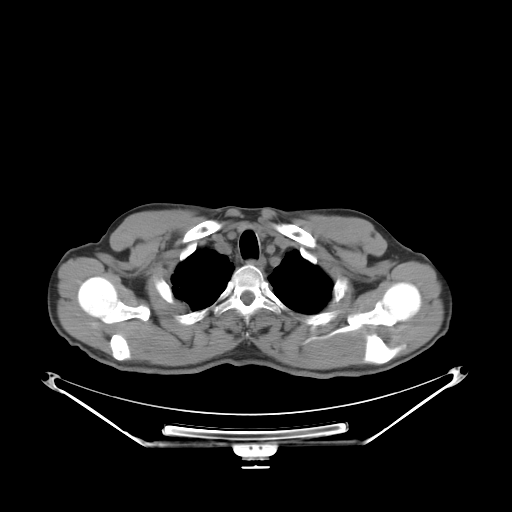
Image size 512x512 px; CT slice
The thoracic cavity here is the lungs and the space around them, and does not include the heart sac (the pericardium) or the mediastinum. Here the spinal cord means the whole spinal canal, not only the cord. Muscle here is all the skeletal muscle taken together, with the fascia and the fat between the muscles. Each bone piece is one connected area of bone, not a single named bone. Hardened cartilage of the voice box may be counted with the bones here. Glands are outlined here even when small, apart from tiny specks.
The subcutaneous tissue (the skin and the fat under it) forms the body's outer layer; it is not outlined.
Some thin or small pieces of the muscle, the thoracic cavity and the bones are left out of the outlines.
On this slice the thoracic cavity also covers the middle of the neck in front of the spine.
muscle: 172,208 196,208 203,215 230,208 253,215 269,208 290,217 307,212 363,218 387,241 385,258 416,259 433,268 444,287 442,323 424,344 397,357 405,343 389,346 375,332 368,333 362,361 371,364 331,369 287,365 246,342 194,364 123,361 132,356 126,338 119,332 110,336 111,356 62,327 54,300 58,270 70,258 108,247 111,233 127,216; inner edges: 207,219 224,223 198,239 197,248 243,223 298,250 297,241 271,224 292,223 309,232 316,244 305,248 317,265 333,282 339,277 348,281 344,295 321,310 338,314 313,330 297,311 277,314 266,308 258,309 247,324 234,308 219,315 211,311 192,324 178,322 174,315 188,313 190,306 175,296 173,303 165,300 154,279 172,284 184,234, then 402,281 415,285 421,296 421,306 418,312 408,320 399,321 391,326 375,326 364,324 354,330 337,333 327,338 313,339 304,343 311,336 325,335 337,328 345,326 347,324 347,316 349,314 371,310 392,283, then 92,276 102,276 109,280 114,285 119,299 126,305 134,307 140,304 144,304 148,306 150,310 150,315 148,319 144,321 139,318 130,318 120,322 105,323 100,319 86,313 78,303 77,292 81,283 87,278
spinal cord: 245,291 249,291 250,292 251,292 253,294 253,295 254,296 254,298 253,299 253,300 250,303 249,303 248,304 246,304 245,303 244,303 241,300 241,295
thyroid glands 1: 243,223 244,223 245,224 247,224 248,225 247,225 246,226 246,227 243,230 242,230 241,231 238,231 237,230 237,228 240,225 241,225
thyroid glands 2: 261,233 262,233 263,233 264,234 265,235 265,236 264,237 263,238 262,238 261,237 260,236 260,235 261,234
right arm: 87,242 96,242 106,253 114,275 116,285 116,294 115,295 115,305 107,318 91,340 82,349 80,349 77,346 71,346 64,338 56,332 52,326 48,316 46,296 47,295 48,280 50,274 62,255 68,249
bones 1: 245,264 252,264 259,268 274,294 294,313 282,311 277,314 266,308 260,308 251,316 247,324 234,308 219,315 215,315 211,311 202,319 188,325 182,324 174,318 176,314 200,310 213,303 225,289 235,269 with a hole at 245,291 249,291 250,292 251,292 253,294 253,295 254,296 254,298 253,299 253,300 250,303 249,303 248,304 246,304 245,303 244,303 241,300 241,295
bones 2: 402,281 415,285 421,296 421,306 418,312 408,320 399,321 391,326 375,326 364,324 354,330 337,333 327,338 313,339 304,343 311,336 325,335 337,328 345,326 347,324 347,316 349,314 371,310 392,283
bones 3: 92,276 102,276 109,280 114,285 119,299 126,305 134,307 140,304 144,304 148,306 150,310 150,315 148,319 144,321 139,318 130,318 120,322 105,323 100,319 86,313 78,303 77,292 81,283 87,278
bones 4: 372,333 375,333 377,335 378,335 389,347 394,347 401,344 405,344 406,346 393,358 384,363 382,363 381,364 372,364 371,363 365,363 363,361 363,358 364,357 364,352 365,351 366,335 368,334 371,334
bones 5: 282,222 295,224 309,232 312,235 315,239 316,243 315,246 313,248 309,247 305,248 317,258 317,264 313,264 305,259 301,255 299,250 301,245 297,241 282,234 277,231 272,226 271,224 272,223 281,223
bones 6: 207,219 215,219 218,221 222,221 224,223 222,227 220,229 206,236 204,236 198,239 196,242 197,243 196,249 186,258 181,261 179,261 179,254 181,250 185,246 185,244 182,242 182,239 184,234 193,226
bones 7: 332,310 337,310 338,311 338,314 332,320 331,320 326,324 324,325 318,325 313,330 311,330 311,326 310,325 308,324 306,324 299,319 299,317 300,316 300,313 302,314 315,314 321,311 331,311
bones 8: 116,333 119,333 121,334 125,338 128,344 129,350 130,351 130,355 131,356 131,357 129,359 126,359 125,360 120,361 119,360 115,359 112,356 112,351 111,350 110,344 109,343 110,342 111,336
bones 9: 155,278 162,278 167,283 170,284 171,286 171,289 172,290 172,292 174,296 174,300 175,301 173,303 170,303 168,302 166,300 165,300 159,294 154,284 154,279
bones 10: 339,277 344,277 347,279 347,280 348,281 348,282 347,283 347,289 345,291 345,292 344,293 344,295 338,301 337,301 336,302 332,302 331,301 331,299 332,298 332,289 333,288 333,285 334,284 334,282
left arm: 405,246 407,246 415,251 421,252 426,255 443,273 449,283 452,292 453,309 452,310 452,317 449,329 445,335 439,338 428,349 424,351 417,345 389,314 386,308 381,289 381,284 388,271 394,262 397,255
thoracic cavity: 249,225 263,232 259,235 262,239 273,236 297,249 330,278 331,297 320,311 302,313 290,308 275,294 262,270 252,263 236,267 215,300 200,309 192,310 174,295 171,277 180,262 205,243 236,229 241,232
torso: 150,202 273,206 285,210 345,207 371,216 405,245 380,289 388,314 423,352 378,373 327,379 290,375 267,366 229,363 197,373 158,375 122,371 91,358 81,350 108,318 117,294 113,268 96,241 120,214